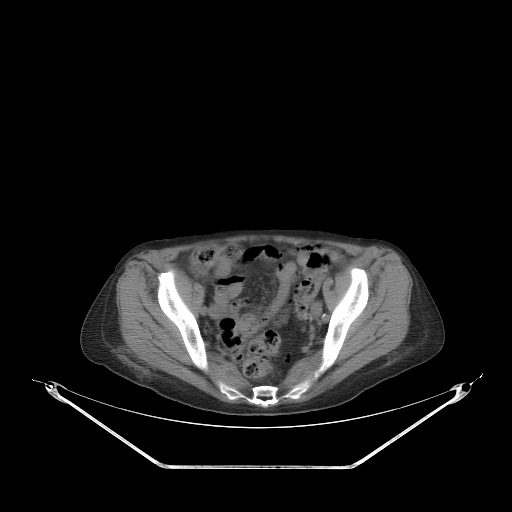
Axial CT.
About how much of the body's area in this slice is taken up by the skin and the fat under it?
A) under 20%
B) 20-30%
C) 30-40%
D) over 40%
B) 20-30%
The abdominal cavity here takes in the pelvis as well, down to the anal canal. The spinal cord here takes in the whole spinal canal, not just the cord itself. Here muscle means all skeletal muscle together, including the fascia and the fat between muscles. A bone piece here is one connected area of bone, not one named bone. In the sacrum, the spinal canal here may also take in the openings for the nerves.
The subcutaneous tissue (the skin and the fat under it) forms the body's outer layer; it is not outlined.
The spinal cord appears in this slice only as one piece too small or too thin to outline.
The abdominal cavity is outlined by 258 240; 271 240; 294 245; 325 244; 339 248; 351 256; 341 270; 325 279; 321 287; 329 313; 321 348; 296 361; 277 386; 259 384; 252 387; 221 355; 206 349; 198 323; 204 299; 204 288; 193 281; 174 261; 180 253; 191 249. The torso is outlined by 242 227; 315 228; 356 237; 378 238; 395 244; 419 272; 440 312; 445 329; 442 349; 428 361; 367 389; 345 403; 321 410; 282 415; 230 415; 198 409; 161 396; 102 365; 91 362; 81 351; 80 329; 90 305; 125 253; 149 240. The bones appear in 2 outlined pieces: piece 1: 353 267; 366 271; 367 303; 350 324; 334 363; 306 391; 298 398; 282 397; 266 407; 242 397; 230 400; 220 391; 216 384; 220 380; 246 395; 259 385; 276 386; 281 395; 310 376; 321 362; 323 340; 331 313; 350 284; piece 2: 169 270; 173 270; 174 271; 174 282; 176 289; 197 321; 201 336; 205 344; 206 355; 208 361; 208 370; 206 372; 200 370; 194 365; 185 347; 178 328; 162 311; 159 305; 157 299; 157 288; 158 287; 157 275; 160 272; 165 272. The muscle appears in 2 outlined pieces: piece 1: 238 235; 283 235; 391 248; 405 260; 413 282; 409 305; 410 323; 406 336; 393 351; 364 365; 332 388; 302 402; 267 407; 282 398; 298 399; 335 363; 351 324; 368 303; 369 279; 364 268; 351 267; 349 284; 330 315; 322 287; 326 279; 346 266; 351 255; 339 247; 325 243; 244 240; 191 248; 180 252; 173 261; 203 288; 197 320; 177 289; 173 269; 157 273; 156 299; 161 311; 177 328; 193 365; 206 373; 209 370; 207 350; 221 356; 251 388; 250 394; 246 394; 218 379; 215 384; 219 391; 230 401; 242 398; 262 407; 222 401; 138 358; 122 339; 119 330; 116 283; 124 263; 132 254; 144 249; 173 247; piece 2: 319 349; 321 349; 320 362; 318 366; 312 372; 312 373; 301 381; 293 385; 285 392; 281 394; 279 394; 279 391; 280 389; 278 386; 286 377; 289 370; 296 363; 296 362; 301 360; 303 358; 307 356; 309 356; 313 354; 314 352.